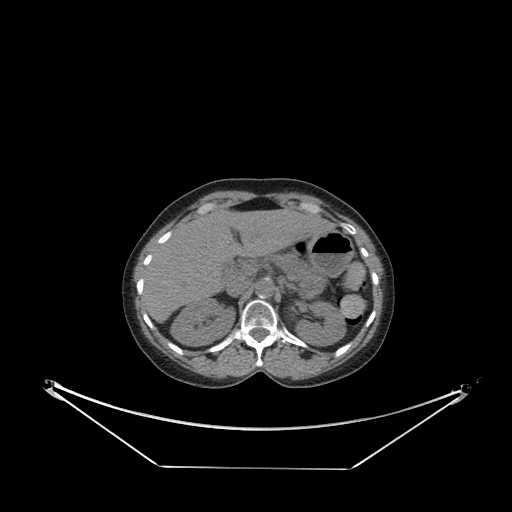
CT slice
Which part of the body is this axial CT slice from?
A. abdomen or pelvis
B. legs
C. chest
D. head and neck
A. abdomen or pelvis
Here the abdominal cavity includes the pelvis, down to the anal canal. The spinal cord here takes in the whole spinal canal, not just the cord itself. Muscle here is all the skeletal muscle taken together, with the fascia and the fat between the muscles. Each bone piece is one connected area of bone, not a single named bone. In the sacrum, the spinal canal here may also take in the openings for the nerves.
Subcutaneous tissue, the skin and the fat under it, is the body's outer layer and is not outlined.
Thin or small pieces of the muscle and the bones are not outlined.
Outlined structures:
bones 1: (256, 298) (268, 302) (277, 314) (278, 325) (283, 324) (309, 347) (305, 348) (290, 342) (279, 345) (276, 341) (262, 350) (261, 366) (255, 364) (257, 360) (255, 349) (242, 340) (234, 339) (222, 349) (208, 352) (208, 348) (221, 342) (240, 326) (242, 310) (249, 301), around a hole outlined by (255, 328) (262, 328) (263, 329) (265, 329) (266, 330) (267, 330) (268, 331) (268, 333) (267, 334) (267, 335) (266, 335) (260, 341) (258, 341) (256, 339) (255, 339) (250, 334) (250, 331) (252, 329) (254, 329)
bones 2: (301, 203) (311, 203) (312, 204) (315, 204) (316, 205) (318, 205) (321, 208) (321, 210) (318, 213) (313, 213) (312, 212) (311, 212) (310, 211) (309, 211) (308, 210) (307, 210) (305, 208) (304, 208) (303, 207) (302, 207) (302, 206) (301, 205)
bones 3: (341, 222) (345, 222) (346, 223) (348, 223) (349, 224) (351, 224) (356, 229) (356, 233) (355, 234) (350, 234) (349, 233) (348, 233) (346, 231) (345, 231) (341, 227) (341, 226) (340, 225) (340, 223)
bones 4: (349, 342) (351, 342) (351, 346) (344, 353) (343, 353) (342, 354) (341, 354) (339, 356) (338, 356) (337, 357) (336, 357) (335, 356) (334, 356) (334, 352) (338, 348) (339, 348) (341, 346) (342, 346) (343, 345) (344, 345) (345, 344) (346, 344) (347, 343) (348, 343)
bones 5: (208, 202) (215, 202) (215, 203) (214, 204) (214, 205) (212, 207) (211, 207) (209, 209) (208, 209) (206, 211) (205, 211) (202, 213) (198, 213) (197, 212) (197, 209) (200, 206) (201, 206) (202, 205) (203, 205) (204, 204) (205, 204)
bones 6: (168, 341) (170, 341) (172, 343) (173, 343) (174, 344) (175, 344) (177, 346) (178, 346) (180, 348) (181, 348) (183, 350) (183, 354) (179, 354) (177, 352) (176, 352) (174, 350) (173, 350) (171, 348) (170, 348) (168, 346) (168, 345) (167, 344) (167, 342)
bones 7: (168, 231) (171, 231) (171, 235) (170, 236) (170, 237) (166, 241) (165, 241) (163, 243) (158, 243) (157, 242) (157, 240) (163, 234) (164, 234) (166, 232) (167, 232)
bones 8: (373, 309) (374, 309) (375, 310) (375, 316) (374, 317) (373, 320) (371, 322) (371, 323) (367, 327) (365, 327) (364, 326) (364, 324) (365, 323) (366, 320) (368, 318) (368, 317) (369, 316) (369, 315) (370, 314) (371, 311)
bones 9: (144, 312) (145, 312) (147, 314) (147, 315) (149, 317) (149, 318) (151, 320) (151, 321) (152, 322) (152, 323) (154, 325) (154, 326) (155, 327) (153, 329) (151, 329) (149, 327) (149, 326) (146, 323) (146, 322) (144, 320) (144, 319) (143, 318) (143, 316) (142, 315)
spinal cord: (255, 328) (262, 328) (263, 329) (265, 329) (266, 330) (267, 330) (268, 331) (268, 333) (267, 334) (267, 335) (266, 335) (260, 341) (258, 341) (256, 339) (255, 339) (250, 334) (250, 331) (252, 329) (254, 329)
torso: (227, 177) (289, 177) (314, 183) (354, 207) (376, 233) (392, 263) (395, 303) (380, 349) (359, 370) (338, 380) (308, 388) (284, 387) (261, 372) (233, 386) (204, 388) (167, 376) (138, 347) (126, 323) (121, 298) (123, 269) (131, 250) (154, 218) (170, 202) (199, 185)
abdominal cavity: (256, 198) (324, 215) (352, 235) (359, 247) (370, 273) (372, 309) (356, 335) (334, 351) (309, 346) (280, 321) (274, 307) (261, 297) (244, 305) (238, 327) (218, 343) (199, 350) (183, 349) (169, 340) (146, 312) (143, 293) (146, 268) (172, 231) (185, 221)
muscle: (223, 190) (242, 190) (243, 191) (249, 191) (250, 192) (253, 192) (258, 194) (272, 193) (273, 192) (300, 192) (301, 193) (305, 193) (309, 195) (312, 195) (321, 199) (327, 203) (335, 211) (352, 219) (365, 231) (375, 247) (376, 254) (380, 258) (380, 261) (384, 270) (384, 274) (383, 275) (383, 285) (382, 286) (383, 287) (382, 288) (383, 289) (383, 301) (382, 302) (382, 312) (381, 313) (379, 324) (377, 326) (377, 328) (373, 336) (360, 350) (343, 363) (318, 375) (316, 375) (309, 378) (306, 378) (305, 379) (293, 380) (289, 377) (284, 377) (283, 378) (277, 377) (268, 372) (265, 369) (260, 367) (257, 367) (248, 373) (241, 376) (228, 376) (225, 378) (217, 379) (216, 378) (211, 378) (210, 377) (207, 377) (206, 376) (201, 375) (187, 368) (185, 368) (165, 355) (148, 340) (144, 335) (139, 324) (139, 321) (136, 315) (136, 310) (135, 309) (135, 304) (134, 303) (133, 271) (134, 270) (134, 267) (137, 263) (137, 260) (138, 259) (139, 254) (143, 247) (151, 237) (158, 230) (172, 220) (185, 208) (192, 204) (199, 198) (209, 193) (211, 193) (215, 191) (222, 191), around holes outlined by (256, 198) (302, 211) (301, 203) (315, 204) (337, 225) (356, 229) (356, 244) (368, 252) (363, 260) (378, 277) (375, 316) (339, 356) (276, 341) (256, 366) (255, 349) (236, 339) (218, 351) (179, 354) (144, 320) (144, 294) (136, 283) (157, 240) (185, 221) and by (208, 202) (215, 202) (215, 203) (214, 204) (214, 205) (212, 207) (211, 207) (209, 209) (208, 209) (206, 211) (205, 211) (202, 213) (198, 213) (197, 212) (197, 209) (200, 206) (201, 206) (202, 205) (203, 205) (204, 204) (205, 204)